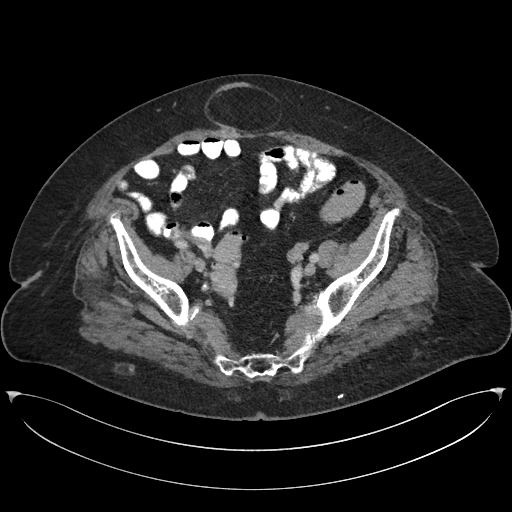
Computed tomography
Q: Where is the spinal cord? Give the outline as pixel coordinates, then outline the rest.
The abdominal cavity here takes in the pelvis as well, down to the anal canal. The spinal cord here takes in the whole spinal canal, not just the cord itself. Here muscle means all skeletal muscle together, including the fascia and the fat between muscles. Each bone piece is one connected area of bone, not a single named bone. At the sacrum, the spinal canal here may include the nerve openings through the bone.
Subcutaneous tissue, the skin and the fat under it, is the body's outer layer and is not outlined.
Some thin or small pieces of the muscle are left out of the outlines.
A: The spinal cord is outlined by 262,365 263,365 264,366 267,366 267,367 266,368 265,368 263,370 262,370 261,371 260,371 259,370 257,370 256,369 255,369 254,368 254,366 261,366. The torso is outlined by 235,73 282,76 354,100 414,135 466,180 487,211 499,244 496,264 483,270 511,305 511,335 499,351 351,406 255,421 155,407 62,369 9,355 0,318 19,286 9,274 10,253 50,174 125,111 176,88. The bones appear in 2 outlined pieces: piece 1: 395,206 400,213 392,227 384,266 341,321 315,343 300,372 282,366 273,376 250,378 239,370 231,375 220,370 214,363 216,353 232,358 251,352 283,357 293,353 305,334 321,322 317,294 360,264 384,215; inner edge: 262,365 263,365 264,366 267,366 267,367 266,368 265,368 263,370 262,370 261,371 260,371 259,370 257,370 256,369 255,369 254,368 254,366 261,366; piece 2: 115,210 117,210 120,213 120,218 123,226 133,242 137,253 143,263 154,273 176,282 185,292 189,300 189,322 187,326 183,327 174,323 157,303 140,288 126,272 122,263 116,234 112,226 108,222 110,213. The abdominal cavity appears in 2 outlined pieces: piece 1: 203,137 275,138 350,160 377,181 362,231 317,246 317,264 330,282 287,317 280,345 270,351 247,350 215,311 194,304 184,288 194,254 186,248 171,259 154,253 133,224 138,205 114,195 136,164; piece 2: 245,89 249,91 260,93 273,100 277,108 276,113 275,114 275,116 267,123 265,124 260,124 259,125 254,125 253,126 248,126 247,127 246,126 231,123 212,112 212,102 220,94 225,93 231,90 244,90. The muscle appears in 2 outlined pieces: piece 1: 233,82 251,83 265,89 277,98 281,106 281,118 278,124 273,128 274,130 300,132 313,136 329,144 335,145 345,151 359,156 379,166 386,171 401,186 407,195 407,200 410,207 421,217 423,221 423,229 434,245 438,260 439,267 438,268 438,300 432,324 427,329 413,333 381,346 310,383 304,383 294,386 287,386 275,383 258,381 251,383 248,382 241,385 231,387 213,386 198,382 190,378 186,378 179,373 172,371 170,369 166,369 157,363 145,358 123,353 120,351 111,350 105,347 93,344 86,341 80,335 78,328 82,323 80,316 80,310 82,307 82,303 73,295 72,286 74,280 76,258 82,244 84,235 87,230 86,221 84,219 84,211 90,197 107,177 134,158 136,158 143,153 152,150 171,136 184,130 189,130 198,127 215,129 216,128 214,124 208,119 206,115 205,112 206,104 211,95 215,91 220,87; inner edges: 203,137 271,137 350,160 376,179 362,231 317,246 317,264 331,282 360,264 386,212 400,208 384,266 315,343 298,373 282,366 273,376 250,378 239,370 226,375 214,363 216,353 238,358 251,352 221,317 190,300 188,325 177,325 123,266 108,222 117,210 143,263 184,288 194,254 186,248 171,259 154,253 133,224 138,205 114,192 136,164, then 245,89 249,91 260,93 273,100 277,108 276,113 275,114 275,116 267,123 265,124 260,124 259,125 254,125 253,126 248,126 247,127 246,126 231,123 212,112 212,102 220,94 225,93 231,90 244,90; piece 2: 315,295 316,295 316,308 318,310 318,314 320,316 320,322 319,324 314,330 307,331 304,334 301,343 293,352 283,356 278,354 276,352 271,351 273,351 281,345 283,339 284,326 288,317 293,312 312,299.